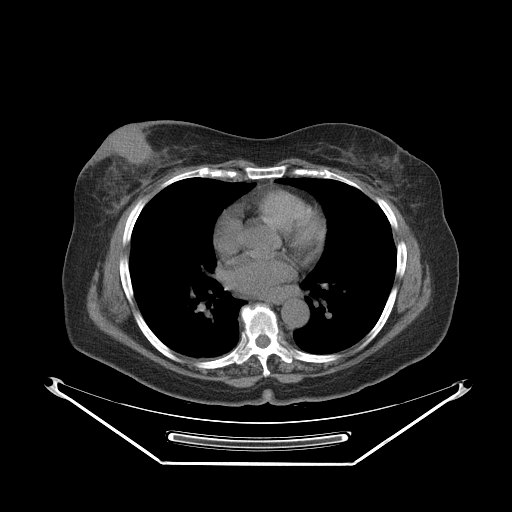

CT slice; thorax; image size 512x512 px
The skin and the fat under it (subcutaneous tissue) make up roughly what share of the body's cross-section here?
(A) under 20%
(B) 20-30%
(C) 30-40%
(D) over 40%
(C) 30-40%
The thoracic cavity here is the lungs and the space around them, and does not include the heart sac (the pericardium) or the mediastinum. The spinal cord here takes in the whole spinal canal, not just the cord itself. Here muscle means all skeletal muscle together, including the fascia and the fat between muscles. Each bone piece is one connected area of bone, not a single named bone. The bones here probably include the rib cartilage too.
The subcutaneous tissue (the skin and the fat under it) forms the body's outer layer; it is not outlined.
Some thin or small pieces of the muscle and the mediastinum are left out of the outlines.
thoracic cavity 1: 188 178; 211 178; 254 184; 251 189; 221 211; 213 226; 215 272; 235 298; 246 302; 239 309; 239 317; 243 326; 236 345; 229 352; 212 359; 192 357; 174 351; 154 333; 134 298; 129 269; 132 232; 143 208; 160 190
thoracic cavity 2: 284 176; 331 179; 352 186; 378 205; 391 228; 396 265; 384 306; 373 326; 359 341; 337 352; 310 353; 296 347; 293 341; 294 330; 305 326; 311 315; 305 300; 306 292; 300 284; 324 251; 328 227; 323 208; 311 193; 276 182
muscle 1: 236 158; 249 160; 255 163; 258 166; 267 166; 251 166; 244 165; 239 169; 201 166; 180 172; 165 180; 149 200; 147 196; 139 198; 124 223; 121 243; 123 246; 129 243; 129 252; 128 257; 122 255; 119 258; 118 271; 127 301; 132 305; 134 299; 139 310; 133 310; 133 318; 142 334; 154 348; 165 357; 178 363; 183 361; 174 352; 192 358; 210 359; 196 361; 193 364; 199 369; 216 369; 232 364; 241 365; 255 355; 262 367; 261 373; 265 378; 248 387; 235 387; 221 381; 194 378; 172 371; 100 330; 89 317; 86 308; 86 297; 97 264; 105 260; 111 234; 119 218; 138 195; 149 185; 177 168; 200 164; 216 164
muscle 2: 290 157; 349 172; 386 195; 417 240; 420 261; 429 267; 433 291; 431 301; 416 319; 360 362; 329 374; 283 383; 267 377; 267 361; 273 354; 288 364; 294 359; 328 363; 341 357; 338 352; 363 338; 357 347; 361 350; 376 337; 393 309; 398 292; 394 280; 403 277; 408 255; 403 240; 395 244; 392 229; 398 229; 398 221; 383 198; 375 196; 373 200; 359 184; 327 168; 273 165
pericardium: 266 182; 273 182; 294 188; 307 194; 319 204; 325 216; 327 227; 323 251; 314 267; 310 271; 308 271; 298 282; 282 284; 265 291; 236 291; 224 281; 218 271; 218 260; 213 245; 214 226; 218 217; 224 209; 245 196; 258 185
spinal cord: 260 335; 265 335; 269 339; 269 342; 268 343; 268 344; 266 346; 265 346; 264 347; 260 347; 259 346; 258 346; 257 345; 257 344; 256 343; 256 339
mediastinum 1: 220 276; 236 292; 265 292; 282 285; 298 283; 304 278; 299 287; 305 292; 304 300; 309 308; 310 315; 305 325; 293 330; 292 341; 294 346; 286 339; 280 328; 277 314; 267 304; 257 302; 251 305; 245 300; 235 297; 220 280
mediastinum 2: 295 188; 297 188; 298 189; 301 189; 302 190; 304 190; 305 191; 306 191; 307 192; 308 192; 310 194; 311 194; 315 198; 315 199; 313 197; 312 197; 310 195; 309 195; 307 193; 306 193; 303 191; 301 191; 298 189; 296 189
bones 1: 257 303; 267 305; 276 314; 278 326; 292 346; 310 354; 337 353; 340 357; 328 362; 294 358; 288 363; 273 353; 266 361; 269 370; 266 377; 255 354; 241 364; 195 366; 196 362; 219 358; 237 345; 244 326; 240 309; 245 304; inner edge: 260 335; 265 335; 269 339; 269 342; 268 343; 268 344; 266 346; 265 346; 264 347; 260 347; 259 346; 258 346; 257 345; 257 344; 256 343; 256 339
bones 2: 284 164; 289 169; 327 169; 353 181; 359 185; 365 193; 356 187; 339 180; 311 176; 293 176; 288 173; 281 177; 240 180; 231 178; 188 177; 177 180; 159 189; 162 183; 173 176; 201 167; 239 170; 244 166; 267 167
bones 3: 134 310; 138 311; 141 314; 143 319; 147 324; 148 327; 165 345; 172 350; 172 351; 179 358; 181 359; 182 361; 181 362; 175 361; 165 356; 152 345; 152 344; 147 339; 147 338; 143 334; 139 328; 134 318; 134 313; 133 312
bones 4: 393 286; 395 286; 397 288; 397 292; 395 296; 395 300; 394 301; 392 309; 385 323; 375 337; 370 342; 369 342; 363 348; 358 349; 358 347; 363 341; 365 336; 374 326; 379 317; 381 315; 381 313; 385 306; 385 304
bones 5: 143 197; 147 197; 148 200; 142 208; 134 223; 134 225; 131 232; 131 236; 130 237; 130 240; 129 242; 127 244; 123 245; 122 243; 122 238; 123 237; 123 233; 125 228; 125 223; 126 222; 126 220; 131 210; 134 207; 138 200
bones 6: 122 256; 125 256; 128 258; 128 269; 129 270; 129 275; 130 276; 130 280; 131 281; 131 286; 133 291; 132 304; 128 301; 124 292; 124 290; 122 286; 122 283; 121 282; 120 272; 119 271; 119 261; 120 260; 120 258
bones 7: 399 241; 403 241; 405 243; 405 245; 406 246; 406 252; 407 253; 407 255; 406 256; 406 264; 405 265; 405 270; 401 278; 399 278; 395 276; 395 274; 396 273; 396 266; 397 265; 397 249; 396 248; 396 245
bones 8: 375 197; 379 197; 380 198; 383 199; 388 204; 388 205; 392 210; 392 211; 396 218; 396 220; 397 221; 397 229; 393 229; 391 227; 391 225; 390 224; 386 215; 381 209; 381 208; 379 206; 379 205; 374 200; 374 198
torso: 148 120; 188 121; 254 138; 278 136; 322 122; 347 122; 387 135; 430 165; 440 180; 445 218; 459 253; 453 315; 440 344; 393 376; 345 397; 240 407; 206 405; 165 395; 76 350; 66 333; 61 286; 73 225; 76 179; 110 132